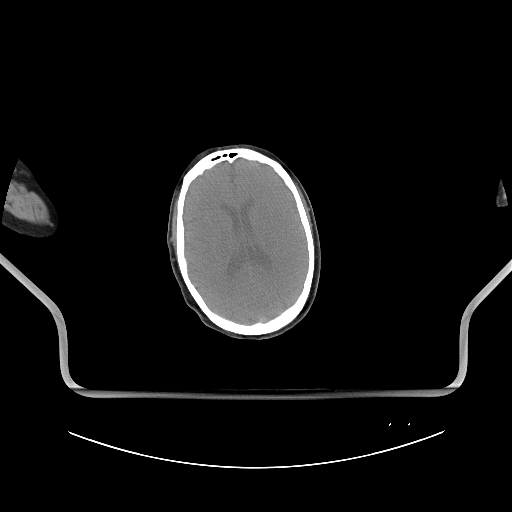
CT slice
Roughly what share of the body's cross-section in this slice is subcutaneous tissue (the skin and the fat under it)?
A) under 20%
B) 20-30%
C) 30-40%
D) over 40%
Answer: A) under 20%
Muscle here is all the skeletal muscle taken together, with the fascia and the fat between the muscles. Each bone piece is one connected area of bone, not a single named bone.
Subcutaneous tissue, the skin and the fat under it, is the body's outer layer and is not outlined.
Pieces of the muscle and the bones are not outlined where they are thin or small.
{"left_arm":[[[499,179],[502,183],[503,189],[504,190],[504,193],[505,194],[505,197],[506,198],[506,201],[507,202],[507,205],[506,206],[502,206],[501,207],[498,207],[496,205],[495,203],[495,199],[494,198],[495,196],[495,188],[496,187],[497,182]]],"head":[[[240,142],[251,143],[268,149],[283,160],[297,176],[307,192],[313,208],[321,249],[321,268],[317,292],[307,314],[286,332],[260,340],[228,337],[202,323],[183,299],[172,272],[166,244],[170,201],[175,184],[184,167],[198,152],[207,147]]],"right_arm":[[[19,159],[24,162],[31,170],[35,179],[43,191],[54,204],[58,212],[60,219],[59,228],[57,233],[52,237],[45,239],[39,239],[38,238],[29,237],[10,230],[4,226],[2,223],[3,211],[6,202],[6,197],[8,193],[8,190],[14,169]]],"bones":[{"outer":[[236,147],[244,147],[258,151],[279,162],[287,171],[300,196],[314,241],[314,271],[310,291],[304,306],[297,316],[287,325],[273,332],[258,335],[234,333],[225,330],[212,322],[190,294],[180,273],[176,258],[176,202],[183,176],[205,155],[216,150]],"hole":[[240,158],[265,164],[281,178],[294,200],[304,232],[307,250],[306,272],[301,290],[293,303],[266,321],[256,321],[249,324],[224,317],[209,307],[189,276],[188,262],[185,256],[185,224],[183,216],[185,200],[191,183],[217,164],[225,161],[232,163]]}],"muscle":[[[14,169],[15,169],[34,188],[47,204],[51,210],[51,213],[54,222],[53,225],[51,226],[30,226],[21,220],[6,212],[4,210],[4,206],[6,203],[6,197],[8,193],[8,190],[9,189],[9,186],[10,185],[10,182],[12,178],[12,175]],[[295,182],[300,188],[304,196],[306,203],[309,208],[309,214],[310,215],[310,219],[311,220],[311,223],[312,224],[311,227],[311,224],[309,221],[309,218],[307,215],[304,204],[302,201],[302,199],[299,193],[299,191],[297,188],[297,186],[295,184]]],"brain":[[[240,158],[265,164],[281,178],[294,200],[304,232],[307,250],[306,272],[301,290],[293,303],[266,321],[256,321],[249,324],[224,317],[209,307],[189,276],[188,262],[185,256],[185,224],[183,216],[185,200],[191,183],[217,164],[225,161],[232,163]]]}